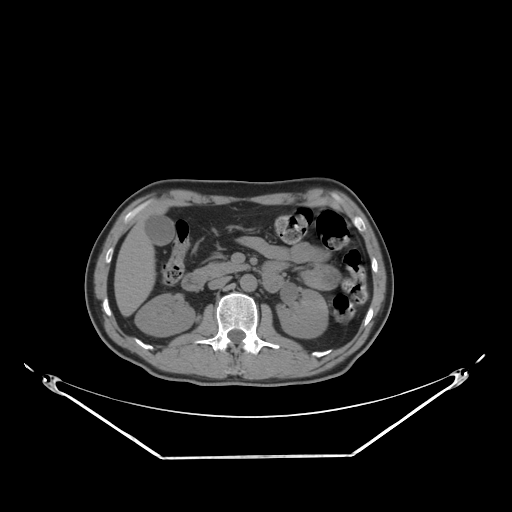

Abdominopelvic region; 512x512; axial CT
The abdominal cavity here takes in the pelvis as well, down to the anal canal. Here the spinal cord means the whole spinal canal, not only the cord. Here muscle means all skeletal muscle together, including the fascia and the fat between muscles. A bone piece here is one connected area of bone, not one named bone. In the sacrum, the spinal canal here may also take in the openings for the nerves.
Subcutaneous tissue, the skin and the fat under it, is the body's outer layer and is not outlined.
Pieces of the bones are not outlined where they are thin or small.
{"abdominal_cavity":[[[239,201],[327,205],[351,219],[370,259],[372,296],[346,343],[311,352],[276,330],[269,305],[262,303],[259,313],[254,298],[239,291],[222,295],[216,305],[207,304],[191,331],[165,345],[147,343],[120,327],[109,303],[108,275],[122,235],[156,206]]],"bones":[{"outer":[[231,292],[243,293],[253,298],[259,314],[256,333],[261,339],[278,344],[278,348],[265,345],[257,354],[253,354],[241,348],[234,351],[229,346],[225,350],[215,351],[210,344],[194,342],[212,337],[217,333],[218,325],[215,314],[217,304],[222,296]],"hole":[[234,329],[237,329],[238,330],[240,330],[241,331],[242,331],[244,333],[244,334],[245,335],[244,336],[244,337],[241,340],[241,342],[240,343],[239,343],[238,344],[236,344],[235,343],[234,343],[228,337],[228,333],[231,330],[233,330]]},[[149,199],[152,199],[151,202],[143,210],[142,210],[137,215],[136,215],[135,216],[135,217],[134,217],[132,219],[131,219],[127,223],[124,223],[123,222],[123,217],[129,211],[130,211],[132,209],[133,209],[135,207],[136,207],[141,203],[142,203]],[[355,215],[356,215],[357,216],[359,216],[363,220],[363,221],[365,223],[365,225],[366,226],[366,229],[364,231],[363,231],[362,232],[360,232],[358,230],[358,229],[354,225],[354,224],[353,223],[353,222],[352,221],[352,217],[353,216],[354,216]],[[105,297],[107,297],[107,298],[108,299],[108,303],[109,304],[109,306],[110,307],[110,309],[112,312],[112,314],[110,316],[109,316],[106,314],[106,313],[103,310],[103,308],[102,307],[102,302],[103,301],[103,299]],[[369,307],[372,307],[372,308],[373,309],[373,315],[372,316],[372,317],[371,318],[371,319],[369,321],[369,322],[365,326],[363,324],[363,320],[364,319],[364,318],[366,315],[366,313],[367,312],[367,311],[368,310],[368,309],[369,308]],[[134,337],[135,337],[136,338],[137,338],[138,339],[141,340],[143,342],[144,342],[147,344],[150,344],[151,345],[152,345],[154,348],[152,350],[151,350],[150,349],[146,349],[145,348],[144,348],[143,347],[140,346],[134,340]],[[328,349],[332,349],[332,350],[329,353],[328,353],[327,354],[326,354],[325,355],[323,355],[322,356],[321,356],[320,357],[317,357],[316,356],[314,356],[313,355],[312,355],[311,354],[311,353],[313,351],[323,351],[324,350],[327,350]],[[332,192],[333,192],[334,193],[335,193],[336,194],[337,194],[342,199],[342,200],[343,201],[343,202],[342,203],[341,202],[340,202],[339,201],[338,201],[335,198],[334,198],[332,196],[332,195],[331,194],[331,193]]],"torso":[[[305,176],[331,177],[353,190],[377,224],[392,262],[394,294],[389,315],[372,344],[345,373],[313,383],[275,387],[198,385],[151,375],[139,366],[118,356],[101,340],[92,325],[85,305],[85,267],[99,232],[125,198],[142,186],[164,178],[271,181]]],"muscle":[{"outer":[[315,187],[321,187],[322,188],[337,188],[340,191],[346,194],[358,206],[365,215],[374,232],[374,234],[380,248],[380,251],[384,263],[385,272],[386,273],[386,288],[385,289],[385,295],[384,296],[384,300],[382,304],[382,307],[380,311],[380,314],[377,320],[374,323],[372,328],[370,330],[368,336],[364,342],[354,352],[349,355],[344,360],[327,370],[313,375],[305,376],[304,377],[296,377],[295,378],[246,379],[240,375],[228,375],[224,378],[209,378],[204,376],[195,376],[190,374],[174,373],[173,372],[161,370],[155,367],[137,354],[133,353],[126,348],[120,346],[108,335],[105,330],[104,325],[101,321],[101,318],[96,311],[95,308],[95,304],[94,303],[94,293],[95,292],[94,291],[94,271],[95,270],[95,267],[98,257],[102,250],[103,244],[111,228],[121,212],[134,200],[155,190],[159,190],[165,188],[187,189],[188,190],[196,191],[203,194],[231,195],[232,196],[254,196],[255,195],[261,195],[262,194],[275,193],[276,192],[298,192],[299,191],[307,190],[310,188],[314,188]],"holes":[[[239,201],[327,205],[363,220],[366,229],[360,233],[369,258],[374,257],[378,266],[371,273],[373,315],[346,343],[314,356],[276,330],[270,306],[262,303],[256,333],[279,347],[265,345],[257,354],[229,346],[215,351],[210,344],[194,342],[218,331],[217,306],[209,303],[191,331],[151,350],[126,333],[113,313],[106,314],[102,302],[108,296],[111,265],[105,262],[106,252],[144,214],[160,205],[200,207]],[[149,199],[152,199],[151,202],[143,210],[142,210],[137,215],[136,215],[135,216],[135,217],[134,217],[132,219],[131,219],[127,223],[124,223],[123,222],[123,217],[129,211],[130,211],[132,209],[133,209],[135,207],[136,207],[141,203],[142,203]],[[332,192],[333,192],[334,193],[335,193],[336,194],[337,194],[342,199],[342,200],[343,201],[343,202],[342,203],[341,202],[340,202],[339,201],[338,201],[335,198],[334,198],[332,196],[332,195],[331,194],[331,193]]]}],"spinal_cord":[[[234,329],[237,329],[238,330],[240,330],[241,331],[242,331],[244,333],[244,334],[245,335],[244,336],[244,337],[241,340],[241,342],[240,343],[239,343],[238,344],[236,344],[235,343],[234,343],[228,337],[228,333],[231,330],[233,330]]]}